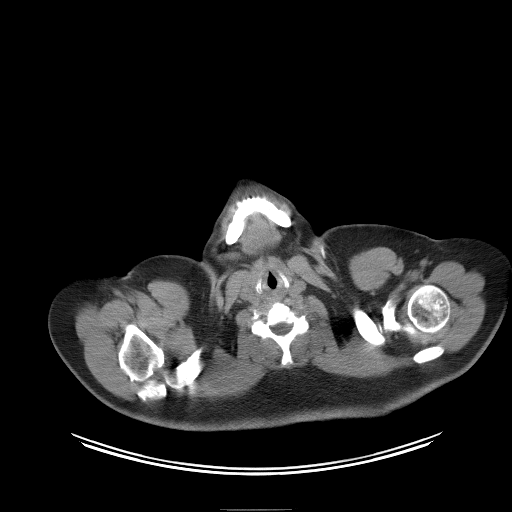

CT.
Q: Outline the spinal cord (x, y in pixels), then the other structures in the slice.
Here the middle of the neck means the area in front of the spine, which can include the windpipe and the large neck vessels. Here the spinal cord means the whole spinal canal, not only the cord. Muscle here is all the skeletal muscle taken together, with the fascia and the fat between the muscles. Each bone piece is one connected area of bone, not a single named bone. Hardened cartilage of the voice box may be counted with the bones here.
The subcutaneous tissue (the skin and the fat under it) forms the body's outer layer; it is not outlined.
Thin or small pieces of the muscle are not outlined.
A: The spinal cord is outlined by 279 323; 286 323; 287 324; 291 324; 292 325; 292 326; 291 327; 291 328; 289 330; 289 331; 288 331; 286 333; 285 333; 284 334; 276 334; 274 332; 273 332; 272 331; 272 330; 270 327; 271 326; 274 326; 275 325; 276 325. The right arm is outlined by 128 271; 151 286; 166 301; 174 312; 183 332; 182 351; 175 366; 156 383; 138 393; 127 397; 121 397; 112 400; 98 400; 78 381; 55 350; 50 339; 47 327; 48 309; 51 300; 58 289; 77 276; 83 274; 97 273; 124 274. The muscle is outlined by 248 189; 283 200; 308 239; 324 240; 351 289; 348 258; 375 246; 406 263; 449 259; 481 272; 478 331; 456 352; 423 347; 412 356; 416 365; 382 377; 284 368; 241 397; 192 402; 167 397; 167 388; 194 393; 203 347; 155 378; 165 352; 130 322; 117 361; 142 383; 135 392; 142 401; 115 396; 85 363; 74 309; 122 285; 171 279; 189 291; 189 316; 203 328; 211 247; 233 198 with holes at 266 261; 305 283; 298 294; 278 300; 294 310; 301 305; 299 311; 305 314; 309 325; 306 332; 290 343; 293 362; 288 367; 281 365; 282 350; 273 339; 261 338; 251 331; 252 309; 265 311; 271 304; 249 303; 240 294; 250 271 and at 424 284; 439 287; 448 297; 450 317; 442 328; 416 336; 403 330; 385 332; 386 341; 382 346; 373 346; 362 337; 352 317; 353 306; 360 307; 380 323; 381 308; 392 298; 396 305; 396 320; 403 324; 408 321; 410 296 and at 252 196; 265 196; 277 207; 284 210; 289 210; 292 223; 289 227; 283 227; 268 219; 260 212; 255 212; 250 214; 246 218; 244 228; 238 239; 234 243; 229 245; 225 242; 225 232; 227 226; 232 218; 234 210; 237 207; 235 202. The middle of the neck is outlined by 266 261; 275 264; 278 266; 281 266; 296 277; 301 279; 305 283; 305 288; 298 294; 289 294; 286 295; 284 297; 282 297; 281 299; 279 299; 272 303; 249 303; 247 302; 240 294; 240 291; 243 282; 249 274; 250 271; 253 270. The head and neck is outlined by 243 178; 256 179; 291 200; 309 221; 313 230; 318 234; 322 233; 324 243; 329 250; 342 293; 341 311; 327 353; 314 363; 299 367; 283 367; 253 358; 235 347; 215 316; 214 308; 207 294; 200 258; 214 221; 233 185; 237 180. The left arm is outlined by 454 236; 475 237; 487 240; 499 247; 506 254; 511 262; 507 302; 502 321; 490 343; 478 359; 452 359; 440 355; 418 344; 409 336; 405 329; 399 323; 392 310; 390 303; 391 283; 397 267; 407 257; 418 250; 447 237. The torso is outlined by 350 223; 444 238; 396 267; 389 303; 418 345; 452 360; 477 360; 462 375; 383 417; 262 430; 170 429; 99 401; 142 392; 182 354; 175 312; 129 271; 158 254; 200 260; 214 316; 240 352; 283 368; 320 361; 343 298; 322 232. The bones appear in 5 outlined pieces: piece 1: 130 323; 164 352; 164 364; 154 371; 155 379; 161 380; 165 370; 171 371; 202 347; 203 367; 195 379; 193 393; 188 393; 186 386; 182 390; 168 386; 164 398; 143 401; 138 396; 136 392; 143 383; 131 381; 118 361; 125 326; piece 2: 424 284; 439 287; 448 297; 450 317; 442 328; 416 336; 403 330; 385 332; 386 341; 382 346; 373 346; 362 337; 352 317; 353 306; 360 307; 380 323; 381 308; 392 298; 396 305; 396 320; 403 324; 408 321; 410 296; piece 3: 277 301; 288 305; 294 310; 298 310; 301 305; 302 308; 299 311; 305 314; 309 325; 306 332; 297 335; 290 343; 289 349; 293 362; 288 367; 281 365; 282 350; 273 339; 269 337; 261 338; 251 331; 252 309; 256 308; 265 311 with a hole at 279 323; 286 323; 287 324; 291 324; 292 325; 292 326; 291 327; 291 328; 289 330; 289 331; 288 331; 286 333; 285 333; 284 334; 276 334; 274 332; 273 332; 272 331; 272 330; 270 327; 271 326; 274 326; 275 325; 276 325; piece 4: 252 196; 265 196; 277 207; 284 210; 289 210; 292 223; 289 227; 283 227; 268 219; 260 212; 255 212; 250 214; 246 218; 244 228; 238 239; 234 243; 229 245; 225 242; 225 232; 227 226; 232 218; 234 210; 237 207; 235 202; piece 5: 434 345; 440 345; 444 349; 443 353; 440 356; 439 356; 437 358; 433 360; 431 360; 430 361; 427 361; 426 362; 424 362; 420 364; 416 363; 413 360; 413 356; 416 352; 417 352; 419 350; 423 348; 425 348; 429 346; 433 346.